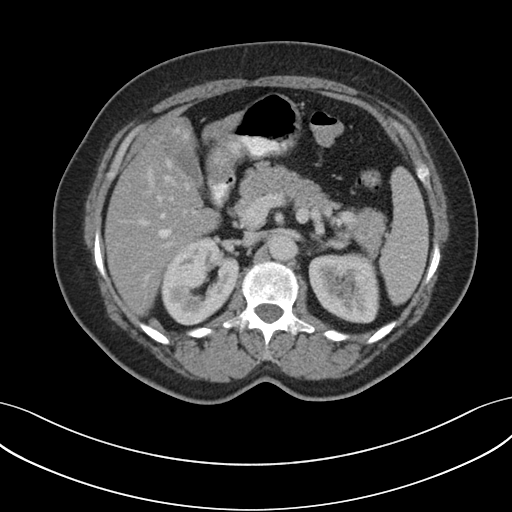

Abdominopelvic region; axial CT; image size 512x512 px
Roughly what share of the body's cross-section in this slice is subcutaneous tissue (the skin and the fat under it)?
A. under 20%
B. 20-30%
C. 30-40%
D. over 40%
Answer: B. 20-30%
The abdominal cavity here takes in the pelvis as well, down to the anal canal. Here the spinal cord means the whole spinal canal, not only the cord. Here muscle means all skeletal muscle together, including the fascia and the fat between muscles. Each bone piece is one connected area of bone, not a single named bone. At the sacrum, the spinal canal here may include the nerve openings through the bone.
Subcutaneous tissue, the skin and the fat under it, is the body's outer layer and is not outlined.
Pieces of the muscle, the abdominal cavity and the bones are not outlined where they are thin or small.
spinal cord: 261,304 273,304 274,305 276,305 277,306 278,306 282,310 282,313 281,314 281,315 278,318 277,318 275,320 274,320 272,322 266,322 264,320 263,320 256,313 256,312 255,311 255,308 257,306 258,306
muscle: 270,75 316,76 341,82 348,86 374,96 391,105 405,114 416,124 417,128 423,137 430,156 433,160 446,197 449,213 449,235 443,259 437,280 433,287 433,291 431,294 429,304 421,318 363,368 350,375 341,378 327,378 319,380 306,380 301,378 298,379 282,372 277,366 270,362 263,362 258,365 249,375 240,380 234,380 229,382 210,382 188,379 166,366 146,347 122,331 107,315 93,278 87,249 84,241 85,202 95,178 100,160 107,148 109,142 119,129 140,112 176,92 194,85 201,84 206,81 225,78 242,78 248,80 253,80 259,77; inner edges: 257,86 300,89 356,105 381,124 415,168 415,161 419,160 429,170 431,188 426,188 425,193 433,221 432,245 438,245 439,262 430,280 422,280 395,319 395,326 375,342 366,343 374,330 350,333 340,341 324,336 330,325 308,310 307,284 299,274 292,312 312,325 313,332 292,335 276,330 266,349 258,328 240,331 237,326 224,327 223,322 246,307 241,280 225,310 205,324 211,333 197,338 185,331 159,329 170,341 164,344 142,330 108,275 105,279 96,267 95,233 101,232 102,211 113,181 106,174 128,134 138,129 118,172 167,120 202,101, then 395,122 397,122 398,123 401,124 404,127 404,128 406,130 407,133 406,133 405,134 404,133 403,133 402,134 401,133 400,133 400,132 397,129 397,128 395,126 395,125 394,124 395,123
bones 1: 265,261 284,264 293,271 298,283 298,292 292,312 315,329 311,333 299,331 295,335 288,331 276,330 267,349 263,334 258,328 245,328 240,331 237,326 226,328 222,325 246,307 241,286 247,270 254,264 with a hole at 261,304 273,304 274,305 276,305 277,306 278,306 282,310 282,313 281,314 281,315 278,318 277,318 275,320 274,320 272,322 266,322 264,320 263,320 256,313 256,312 255,311 255,308 257,306 258,306
bones 2: 137,127 138,127 138,129 129,143 129,145 127,147 127,149 124,153 121,159 121,161 117,167 117,171 115,176 112,179 109,179 107,177 106,174 110,168 110,165 114,159 119,149 120,145 128,134 132,130
bones 3: 97,230 98,230 100,233 100,250 102,254 103,264 104,265 104,268 105,269 105,272 106,273 106,278 105,279 100,274 98,269 96,267 96,265 95,264 95,260 94,259 94,240 95,239 95,233
bones 4: 138,321 143,322 147,325 158,330 160,332 164,334 169,339 170,342 168,344 164,344 163,343 161,343 160,342 158,342 154,340 148,335 147,335 142,330 142,329 139,326 138,324
bones 5: 435,243 438,245 439,251 440,252 440,258 439,259 439,262 438,263 436,270 434,272 430,280 427,283 425,283 424,282 424,280 425,279 426,273 430,263 430,260 432,257 432,254 433,253 433,246
bones 6: 416,160 419,160 421,162 424,163 429,170 429,173 430,174 429,177 430,178 430,184 431,185 431,188 430,189 428,189 424,186 422,182 419,179 416,173 416,170 415,169 416,167 416,162 415,161
bones 7: 393,320 395,320 396,321 396,324 389,333 388,333 381,339 380,339 375,342 373,342 372,343 366,343 366,341 368,339 368,338 369,338 375,332 375,331 376,331 383,325 384,325
bones 8: 329,329 334,329 340,332 347,333 349,334 350,336 347,339 345,339 344,340 341,340 340,341 334,341 333,340 331,340 327,338 323,335 323,332
bones 9: 197,327 208,327 209,328 211,328 212,329 212,332 211,333 210,333 203,337 200,337 199,338 197,338 196,337 193,337 192,336 190,336 189,335 186,334 186,331 187,331 188,330 190,330 193,328 196,328
abdominal cavity: 257,86 305,90 367,111 410,160 425,189 433,221 425,275 400,314 376,330 331,328 308,310 302,276 274,260 254,263 223,312 204,326 182,332 139,320 112,285 103,258 102,211 124,163 167,120 202,101
torso: 266,40 308,41 348,49 387,66 415,88 452,142 470,181 478,219 475,268 460,303 429,342 400,368 357,394 306,401 262,382 223,403 190,403 128,373 71,314 53,267 54,197 95,116 134,76 187,52